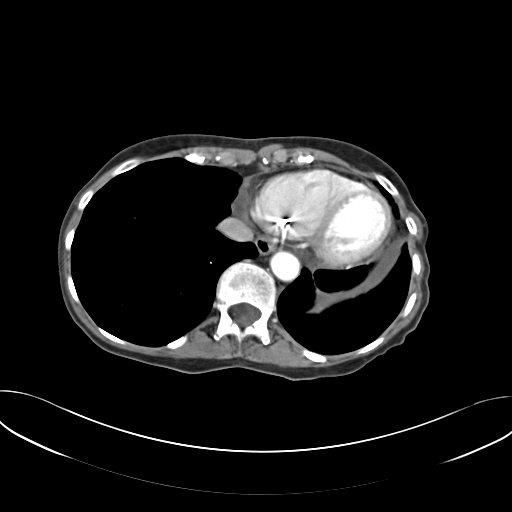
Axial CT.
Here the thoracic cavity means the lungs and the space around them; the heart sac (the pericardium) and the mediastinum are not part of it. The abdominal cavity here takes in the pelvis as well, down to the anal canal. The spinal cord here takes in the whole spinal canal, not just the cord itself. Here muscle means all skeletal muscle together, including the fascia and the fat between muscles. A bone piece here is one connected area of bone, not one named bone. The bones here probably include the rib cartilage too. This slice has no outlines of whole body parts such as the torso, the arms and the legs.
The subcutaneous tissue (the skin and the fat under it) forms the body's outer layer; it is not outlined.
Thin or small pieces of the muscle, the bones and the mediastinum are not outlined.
The abdominal cavity appears in 2 outlined pieces: piece 1: (400, 216) (406, 227) (405, 238) (407, 242) (402, 245) (397, 260) (383, 280) (366, 293) (337, 303) (321, 313) (307, 312) (313, 304) (315, 288) (322, 292) (338, 292) (356, 286) (366, 277) (372, 265) (368, 264) (369, 262) (377, 257) (392, 239) (396, 231) (395, 218); piece 2: (227, 217) (234, 217) (236, 218) (236, 219) (238, 221) (243, 222) (248, 226) (251, 227) (250, 228) (253, 234) (253, 239) (250, 241) (244, 241) (243, 240) (242, 241) (238, 241) (237, 240) (232, 239) (224, 235) (218, 229) (217, 229) (216, 227) (223, 220) (224, 220). The pericardium is outlined by (320, 163) (333, 164) (346, 172) (365, 179) (379, 191) (388, 203) (395, 220) (395, 231) (391, 239) (371, 261) (345, 269) (326, 269) (330, 268) (325, 263) (320, 262) (305, 250) (266, 235) (238, 220) (236, 217) (229, 215) (231, 213) (231, 203) (244, 180) (277, 168). The bones appear in 15 outlined pieces: piece 1: (242, 260) (265, 269) (275, 283) (276, 311) (272, 315) (276, 316) (278, 321) (273, 322) (270, 318) (268, 320) (268, 344) (264, 344) (254, 335) (244, 337) (240, 343) (233, 334) (225, 334) (218, 340) (213, 337) (220, 317) (219, 312) (213, 308) (218, 279) (226, 268); inner edge: (241, 303) (246, 303) (247, 304) (249, 304) (255, 307) (259, 311) (260, 313) (257, 319) (254, 320) (250, 324) (248, 325) (246, 325) (245, 326) (241, 326) (239, 325) (235, 321) (234, 321) (229, 311) (230, 308) (232, 306) (234, 305) (236, 305) (237, 304) (240, 304); piece 2: (134, 157) (135, 158) (138, 158) (141, 161) (141, 163) (140, 164) (139, 164) (137, 166) (136, 166) (127, 171) (122, 172) (113, 177) (112, 177) (111, 176) (111, 175) (110, 174) (111, 173) (111, 172) (118, 165) (119, 165) (122, 162) (123, 162) (130, 158) (133, 158); piece 3: (375, 173) (378, 173) (379, 174) (381, 174) (382, 175) (385, 176) (397, 188) (397, 189) (399, 192) (399, 195) (398, 196) (395, 196) (394, 197) (393, 197) (393, 196) (389, 192) (388, 192) (380, 184) (379, 184) (377, 181) (376, 181) (374, 179) (374, 174); piece 4: (223, 151) (228, 151) (234, 154) (235, 156) (235, 159) (237, 163) (237, 164) (235, 166) (226, 166) (225, 165) (223, 165) (221, 162) (219, 161) (215, 161) (214, 160) (213, 157) (217, 153) (219, 152) (222, 152); piece 5: (298, 150) (300, 150) (304, 154) (306, 153) (309, 153) (313, 155) (315, 158) (314, 161) (313, 161) (311, 163) (304, 163) (301, 165) (296, 165) (293, 162) (290, 162) (290, 159) (293, 158) (294, 156) (296, 155) (294, 154) (295, 154); piece 6: (194, 151) (196, 151) (197, 152) (202, 152) (204, 154) (206, 155) (208, 155) (210, 157) (209, 158) (208, 157) (205, 160) (204, 162) (204, 164) (197, 164) (196, 163) (194, 163) (193, 162) (188, 161) (183, 157) (186, 154) (188, 153) (190, 153) (191, 152) (193, 152); piece 7: (302, 346) (303, 346) (305, 348) (313, 352) (315, 352) (319, 354) (322, 354) (323, 355) (325, 355) (327, 357) (327, 359) (326, 361) (324, 362) (321, 362) (320, 361) (313, 361) (309, 359) (307, 357) (303, 355) (302, 353); piece 8: (383, 333) (383, 335) (384, 336) (384, 339) (383, 341) (376, 347) (375, 347) (371, 350) (369, 350) (363, 353) (356, 353) (355, 352) (355, 350) (361, 347) (363, 347) (367, 344) (370, 343) (372, 341) (376, 339); piece 9: (413, 292) (415, 292) (416, 293) (416, 297) (415, 298) (415, 301) (413, 304) (413, 306) (412, 307) (412, 308) (410, 310) (410, 311) (406, 316) (400, 316) (399, 315) (398, 315) (399, 314) (399, 313) (401, 311) (401, 310) (403, 308) (407, 298); piece 10: (89, 189) (91, 189) (95, 192) (93, 194) (93, 195) (91, 197) (91, 198) (89, 200) (89, 201) (87, 203) (87, 204) (85, 206) (85, 207) (82, 211) (78, 208) (78, 204) (79, 203) (79, 201) (80, 200) (80, 198) (81, 197) (81, 196) (87, 190) (88, 190); piece 11: (69, 274) (71, 275) (71, 277) (72, 278) (72, 280) (73, 281) (73, 283) (74, 284) (74, 286) (76, 290) (76, 293) (78, 296) (78, 298) (81, 304) (79, 304) (77, 303) (75, 301) (75, 300) (70, 293) (70, 291) (68, 287) (68, 284) (67, 283) (67, 276); piece 12: (406, 216) (410, 216) (414, 220) (414, 221) (416, 224) (416, 227) (417, 228) (417, 233) (416, 234) (416, 235) (412, 235) (408, 231) (408, 230) (407, 229) (407, 227) (406, 226) (406, 225) (405, 224) (405, 222) (404, 221) (404, 219); piece 13: (185, 334) (187, 334) (187, 339) (186, 340) (186, 341) (182, 345) (181, 345) (174, 349) (171, 349) (170, 348) (168, 348) (165, 346) (165, 345) (166, 345) (168, 343) (169, 343) (170, 342) (171, 342) (172, 341) (173, 341) (174, 340) (179, 338) (181, 336) (182, 336); piece 14: (280, 149) (284, 149) (286, 151) (286, 153) (287, 154) (287, 158) (286, 159) (286, 160) (284, 162) (276, 162) (274, 160) (274, 158) (273, 157) (273, 152) (275, 150) (279, 150); piece 15: (98, 326) (99, 326) (107, 332) (108, 332) (109, 333) (110, 333) (125, 341) (127, 341) (128, 342) (128, 343) (127, 343) (126, 344) (123, 344) (122, 343) (119, 343) (118, 342) (116, 342) (115, 341) (106, 337) (102, 333) (101, 333) (99, 331) (99, 330) (97, 327). The spinal cord is outlined by (241, 303) (246, 303) (247, 304) (249, 304) (255, 307) (259, 311) (260, 313) (257, 319) (254, 320) (250, 324) (248, 325) (246, 325) (245, 326) (241, 326) (239, 325) (235, 321) (234, 321) (229, 311) (230, 308) (232, 306) (234, 305) (236, 305) (237, 304) (240, 304). The thoracic cavity appears in 3 outlined pieces: piece 1: (172, 157) (197, 165) (222, 167) (241, 178) (230, 203) (230, 213) (215, 228) (232, 240) (252, 243) (257, 254) (236, 261) (221, 272) (216, 282) (212, 308) (197, 325) (164, 345) (142, 345) (107, 331) (87, 312) (71, 274) (71, 248) (83, 211) (102, 186) (143, 163); piece 2: (406, 242) (411, 261) (407, 297) (391, 323) (370, 342) (351, 351) (326, 355) (302, 345) (279, 321) (278, 295) (298, 277) (302, 268) (313, 274) (319, 269) (345, 270) (371, 265) (365, 277) (347, 289) (328, 292) (315, 287) (306, 312) (318, 315) (379, 285) (394, 267); piece 3: (374, 180) (392, 196) (393, 200) (397, 205) (397, 207) (399, 210) (399, 214) (400, 215) (398, 217) (395, 217) (395, 216) (393, 214) (393, 212) (392, 211) (392, 206) (388, 202) (386, 198) (384, 197) (384, 196) (381, 193) (379, 188) (374, 183). The muscle appears in 3 outlined pieces: piece 1: (400, 193) (407, 207) (422, 224) (423, 235) (419, 245) (424, 265) (421, 284) (422, 299) (418, 310) (406, 326) (375, 350) (351, 360) (325, 367) (291, 367) (241, 358) (174, 358) (130, 351) (109, 344) (95, 335) (78, 317) (67, 294) (62, 265) (63, 239) (75, 203) (79, 198) (77, 208) (82, 212) (80, 219) (76, 228) (72, 227) (64, 237) (64, 248) (70, 251) (70, 273) (66, 276) (66, 283) (74, 301) (82, 305) (97, 325) (98, 331) (106, 338) (123, 345) (129, 342) (150, 347) (164, 346) (174, 350) (187, 341) (187, 333) (214, 309) (219, 314) (212, 335) (216, 341) (225, 335) (233, 335) (240, 344) (244, 338) (254, 336) (264, 345) (268, 345) (271, 341) (268, 326) (270, 319) (273, 323) (279, 322) (301, 345) (302, 355) (313, 362) (324, 363) (328, 355) (339, 355) (352, 351) (356, 354) (363, 354) (373, 350) (384, 341) (384, 331) (397, 316) (406, 317) (409, 314) (417, 297) (415, 291) (408, 296) (408, 293) (411, 275) (420, 273) (421, 261) (416, 252) (410, 254) (406, 235) (407, 230) (412, 236) (416, 236) (418, 228) (410, 215) (402, 218) (394, 200); piece 2: (273, 143) (282, 144) (285, 147) (289, 148) (309, 147) (331, 153) (363, 170) (372, 170) (378, 172) (375, 172) (373, 174) (373, 179) (351, 173) (333, 163) (328, 163) (327, 161) (315, 161) (316, 158) (313, 154) (309, 152) (304, 153) (300, 149) (298, 149) (293, 154) (295, 155) (289, 159) (289, 162) (293, 163) (293, 165) (273, 165) (270, 163) (270, 160) (265, 156) (261, 158) (261, 163) (255, 161) (249, 164) (238, 164) (235, 154) (228, 150) (219, 151) (212, 157) (215, 162) (219, 162) (222, 165) (205, 164) (206, 160) (211, 157) (202, 151) (196, 150) (188, 152) (182, 157) (164, 157) (142, 163) (142, 161) (138, 157) (135, 157) (153, 156) (195, 146) (219, 146) (225, 148) (240, 148) (257, 151) (261, 147); inner edge: (280, 149) (284, 149) (286, 151) (286, 153) (287, 154) (287, 158) (286, 159) (286, 160) (284, 162) (276, 162) (274, 160) (274, 158) (273, 157) (273, 152) (275, 150) (279, 150); piece 3: (116, 165) (117, 165) (110, 172) (109, 174) (111, 178) (109, 180) (108, 180) (103, 185) (102, 185) (101, 187) (100, 187) (96, 191) (95, 191) (91, 188) (89, 188) (87, 189) (101, 175) (102, 175) (106, 171) (107, 171) (109, 169) (112, 168). The mediastinum appears in 2 outlined pieces: piece 1: (251, 228) (266, 236) (305, 251) (320, 263) (325, 264) (329, 268) (319, 268) (311, 273) (309, 269) (306, 267) (302, 267) (297, 277) (277, 294) (277, 287) (273, 276) (265, 268) (246, 259) (254, 258) (258, 254) (254, 244) (251, 242) (254, 239) (254, 234); piece 2: (255, 162) (258, 164) (263, 164) (264, 165) (270, 164) (273, 166) (277, 165) (281, 166) (293, 166) (295, 165) (295, 166) (277, 167) (265, 172) (251, 176) (242, 181) (242, 178) (236, 172) (228, 168) (215, 165) (225, 166) (226, 167) (235, 167) (238, 165) (249, 165).